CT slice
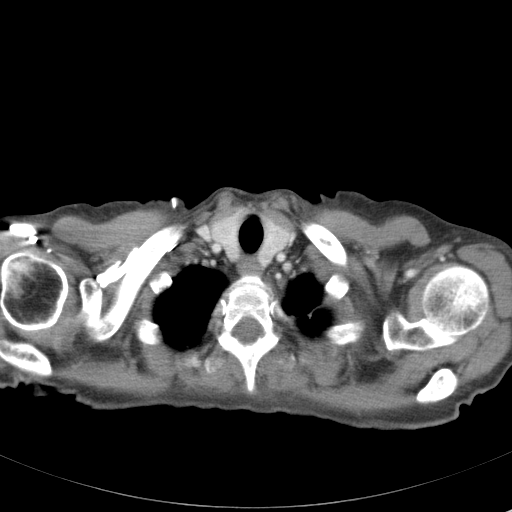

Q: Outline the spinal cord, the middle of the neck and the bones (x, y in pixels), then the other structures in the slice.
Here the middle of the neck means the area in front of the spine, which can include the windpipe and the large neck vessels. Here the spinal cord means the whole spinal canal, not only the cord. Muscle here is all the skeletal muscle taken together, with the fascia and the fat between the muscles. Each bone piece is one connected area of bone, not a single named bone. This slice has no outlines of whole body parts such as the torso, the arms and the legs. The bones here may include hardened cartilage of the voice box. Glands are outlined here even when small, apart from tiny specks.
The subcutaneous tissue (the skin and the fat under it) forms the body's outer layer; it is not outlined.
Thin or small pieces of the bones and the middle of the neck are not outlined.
A: The spinal cord is outlined by (246, 317) (248, 317) (249, 318) (254, 319) (261, 326) (261, 328) (262, 329) (262, 333) (261, 334) (261, 335) (258, 336) (255, 339) (255, 340) (254, 340) (251, 342) (242, 342) (237, 337) (236, 337) (233, 334) (233, 330) (234, 329) (235, 326) (243, 318) (245, 318). The middle of the neck is outlined by (248, 210) (261, 215) (258, 263) (267, 266) (293, 234) (289, 257) (323, 284) (333, 324) (319, 336) (302, 334) (271, 284) (245, 273) (223, 290) (198, 343) (183, 349) (169, 345) (153, 320) (157, 297) (202, 247) (198, 235) (203, 230) (209, 229) (235, 261) (238, 229). The bones appear in 12 outlined pieces: piece 1: (453, 265) (464, 265) (473, 269) (481, 275) (487, 285) (489, 303) (487, 312) (481, 323) (448, 345) (425, 350) (388, 350) (382, 336) (382, 326) (385, 318) (394, 312) (401, 313) (410, 322) (415, 322) (424, 317) (422, 292) (426, 284) (436, 273); piece 2: (245, 274) (256, 274) (263, 281) (270, 284) (283, 311) (293, 320) (293, 324) (279, 322) (281, 339) (275, 347) (258, 361) (255, 369) (255, 388) (252, 392) (249, 392) (246, 388) (243, 368) (238, 359) (216, 347) (212, 322) (210, 322) (211, 313) (224, 290) (234, 280), around a hole outlined by (246, 317) (248, 317) (249, 318) (254, 319) (261, 326) (261, 328) (262, 329) (262, 333) (261, 334) (261, 335) (258, 336) (255, 339) (255, 340) (254, 340) (251, 342) (242, 342) (237, 337) (236, 337) (233, 334) (233, 330) (234, 329) (235, 326) (243, 318) (245, 318); piece 3: (23, 249) (27, 249) (36, 254) (38, 254) (40, 256) (43, 256) (45, 258) (53, 261) (62, 268) (67, 278) (68, 293) (63, 304) (61, 314) (57, 322) (54, 325) (48, 328) (37, 330) (21, 329) (12, 325) (5, 318) (0, 309) (0, 264) (4, 258) (9, 254); piece 4: (169, 225) (185, 226) (176, 245) (165, 252) (153, 266) (117, 331) (109, 338) (101, 342) (96, 342) (90, 336) (90, 330) (76, 318) (82, 304) (79, 289) (80, 282) (85, 278) (95, 279) (102, 292) (103, 314) (111, 305) (122, 276) (133, 256) (146, 239) (154, 232); piece 5: (3, 339) (6, 339) (7, 340) (14, 341) (15, 342) (17, 342) (18, 341) (27, 342) (34, 345) (47, 356) (51, 365) (52, 374) (50, 376) (41, 376) (40, 375) (37, 375) (30, 372) (23, 371) (17, 367) (10, 364) (1, 358) (0, 357) (0, 340) (2, 340); piece 6: (302, 222) (315, 222) (316, 223) (321, 224) (326, 227) (339, 240) (339, 241) (344, 247) (345, 251) (346, 252) (346, 255) (347, 256) (347, 262) (346, 264) (345, 265) (340, 265) (339, 264) (336, 264) (332, 262) (328, 258) (327, 258) (303, 233) (301, 229) (301, 224); piece 7: (442, 367) (445, 367) (446, 368) (449, 368) (451, 369) (456, 375) (458, 379) (458, 384) (454, 391) (449, 396) (436, 402) (420, 403) (416, 401) (416, 399) (415, 398) (416, 397) (416, 394) (418, 391) (428, 381) (429, 378) (432, 375) (432, 374) (437, 369); piece 8: (357, 320) (361, 321) (364, 327) (363, 328) (363, 330) (361, 332) (361, 335) (360, 337) (354, 342) (349, 342) (342, 345) (334, 344) (333, 343) (331, 343) (329, 341) (329, 340) (324, 336) (323, 334) (324, 331) (327, 328) (334, 324) (345, 323) (349, 321) (356, 321); piece 9: (141, 318) (146, 318) (147, 319) (150, 319) (155, 323) (156, 323) (159, 326) (159, 328) (160, 329) (160, 331) (162, 335) (162, 341) (159, 344) (156, 344) (155, 345) (151, 345) (150, 344) (145, 344) (141, 342) (137, 338) (136, 336) (136, 332) (135, 331) (135, 321); piece 10: (335, 273) (337, 273) (338, 274) (339, 274) (341, 276) (342, 276) (344, 278) (345, 278) (349, 282) (349, 288) (348, 289) (348, 290) (347, 291) (347, 292) (340, 299) (332, 299) (330, 297) (328, 297) (324, 291) (324, 284) (329, 279) (329, 278) (333, 274) (334, 274); piece 11: (195, 352) (197, 352) (199, 354) (199, 357) (201, 359) (203, 359) (206, 356) (214, 353) (216, 356) (220, 358) (221, 360) (221, 363) (215, 371) (211, 372) (210, 373) (206, 371) (202, 363) (200, 365) (196, 367) (185, 365) (184, 364) (184, 360) (185, 358) (188, 357); piece 12: (162, 271) (166, 271) (169, 273) (169, 274) (172, 278) (172, 283) (171, 284) (171, 285) (168, 288) (167, 288) (165, 290) (164, 290) (157, 296) (155, 296) (149, 285) (149, 281) (151, 279) (152, 279) (153, 278) (155, 278) (158, 275) (158, 274). The muscle is outlined by (225, 190) (245, 200) (280, 192) (370, 220) (408, 214) (424, 225) (430, 247) (499, 246) (511, 267) (511, 347) (489, 373) (454, 395) (457, 375) (437, 368) (414, 398) (444, 402) (360, 417) (302, 400) (146, 399) (0, 371) (0, 358) (23, 372) (53, 374) (48, 356) (34, 344) (0, 339) (0, 310) (16, 328) (44, 330) (58, 322) (69, 293) (63, 268) (27, 248) (0, 263) (0, 229) (7, 222) (62, 214) (104, 220) (162, 202) (193, 210), around holes outlined by (242, 208) (293, 234) (289, 257) (313, 272) (322, 284) (335, 273) (345, 278) (349, 282) (347, 292) (340, 299) (326, 297) (331, 322) (359, 320) (364, 326) (356, 341) (339, 345) (323, 334) (309, 337) (295, 325) (280, 321) (281, 339) (258, 361) (252, 392) (246, 388) (238, 359) (216, 347) (211, 321) (201, 340) (183, 349) (163, 340) (145, 344) (135, 331) (136, 320) (153, 319) (157, 297) (149, 281) (162, 271) (176, 276) (202, 247) (200, 232) and by (453, 265) (464, 265) (473, 269) (481, 275) (487, 285) (489, 303) (487, 312) (481, 323) (448, 345) (425, 350) (388, 350) (382, 336) (382, 326) (385, 318) (394, 312) (401, 313) (410, 322) (415, 322) (424, 317) (422, 292) (426, 284) (436, 273) and by (169, 225) (185, 226) (176, 245) (165, 252) (153, 266) (117, 331) (109, 338) (101, 342) (96, 342) (90, 336) (90, 330) (76, 318) (82, 304) (79, 289) (80, 282) (85, 278) (95, 279) (102, 292) (103, 314) (111, 305) (122, 276) (133, 256) (146, 239) (154, 232) and by (302, 222) (315, 222) (316, 223) (321, 224) (326, 227) (339, 240) (339, 241) (344, 247) (345, 251) (346, 252) (346, 255) (347, 256) (347, 262) (346, 264) (345, 265) (340, 265) (339, 264) (336, 264) (332, 262) (328, 258) (327, 258) (303, 233) (301, 229) (301, 224) and by (195, 352) (197, 352) (199, 354) (199, 357) (201, 359) (203, 359) (206, 356) (214, 353) (216, 356) (220, 358) (221, 360) (221, 363) (215, 371) (211, 372) (210, 373) (206, 371) (202, 363) (200, 365) (196, 367) (185, 365) (184, 364) (184, 360) (185, 358) (188, 357) and by (291, 353) (293, 353) (295, 355) (295, 356) (296, 357) (296, 359) (293, 362) (293, 363) (292, 364) (292, 365) (291, 366) (290, 365) (291, 364) (291, 362) (289, 360) (289, 355) and by (207, 344) (209, 344) (210, 345) (210, 346) (209, 347) (209, 348) (207, 350) (207, 351) (206, 352) (205, 352) (204, 353) (201, 353) (200, 352) (201, 351) (201, 350) (202, 349) (202, 348) (204, 346) (205, 346). The thyroid glands appear in 2 outlined pieces: piece 1: (242, 208) (247, 210) (247, 213) (244, 216) (237, 229) (237, 232) (236, 233) (236, 241) (237, 242) (237, 247) (238, 248) (238, 255) (237, 258) (235, 260) (232, 261) (228, 257) (222, 244) (214, 239) (210, 229) (212, 223) (214, 221) (223, 218) (226, 216) (229, 216); piece 2: (261, 216) (265, 216) (269, 218) (276, 224) (278, 224) (286, 228) (291, 233) (291, 235) (288, 238) (284, 247) (277, 251) (272, 257) (271, 261) (267, 265) (265, 266) (262, 266) (258, 261) (258, 253) (264, 241) (264, 228) (263, 227) (263, 225) (261, 221).